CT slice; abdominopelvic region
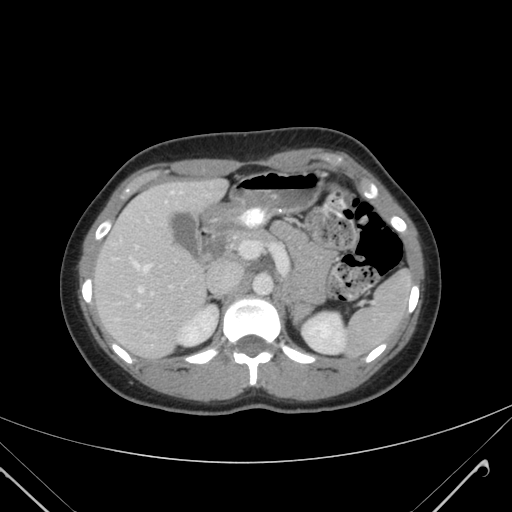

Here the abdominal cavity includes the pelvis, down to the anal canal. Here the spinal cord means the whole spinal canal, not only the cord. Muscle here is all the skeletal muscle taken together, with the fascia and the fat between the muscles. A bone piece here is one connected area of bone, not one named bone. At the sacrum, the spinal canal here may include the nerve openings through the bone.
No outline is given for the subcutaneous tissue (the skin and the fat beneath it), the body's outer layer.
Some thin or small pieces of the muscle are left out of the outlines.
{"abdominal_cavity":[[[148,360],[208,346],[221,329],[226,307],[247,294],[273,303],[293,346],[326,357],[364,356],[393,334],[407,308],[411,274],[401,237],[358,179],[326,162],[294,169],[248,165],[217,177],[158,177],[120,209],[92,275],[93,301],[104,329],[132,356]]],"torso":[[[198,416],[229,415],[253,408],[284,414],[318,413],[357,406],[397,385],[423,353],[441,299],[436,240],[417,205],[355,137],[328,127],[288,126],[201,133],[158,142],[123,163],[75,224],[60,266],[59,299],[78,351],[96,376],[123,398],[167,412]]],"bones":[{"outer":[[250,385],[257,381],[258,365],[273,357],[274,346],[279,347],[290,359],[300,363],[312,363],[316,357],[292,348],[282,339],[276,343],[281,329],[276,308],[266,299],[247,295],[235,299],[225,310],[223,335],[233,347],[231,352],[233,360],[247,365]],"hole":[[252,357],[256,355],[261,351],[263,351],[265,350],[267,348],[267,344],[263,339],[262,339],[258,336],[256,336],[255,335],[248,335],[247,336],[244,336],[237,341],[236,343],[236,348],[238,351],[240,352],[243,352],[247,354],[249,356],[251,356]]},[[123,200],[127,199],[127,198],[131,194],[133,190],[135,189],[136,187],[142,183],[149,180],[154,176],[157,175],[160,172],[160,170],[158,170],[157,169],[156,170],[151,170],[150,171],[145,172],[134,178],[122,190],[122,192],[120,194],[120,198]],[[190,363],[205,363],[209,361],[218,353],[218,349],[214,346],[213,347],[210,347],[204,350],[201,350],[198,352],[196,352],[195,353],[193,353],[189,355],[186,355],[183,357],[183,359],[185,361],[187,362],[189,362]],[[408,313],[411,313],[414,310],[417,304],[417,301],[419,297],[419,287],[418,285],[416,284],[413,284],[412,285],[412,287],[410,291],[410,295],[409,296],[409,300],[408,301],[408,308],[407,309],[407,312]],[[96,240],[100,240],[107,233],[107,232],[109,230],[109,229],[111,227],[111,226],[112,225],[112,221],[110,219],[106,219],[105,220],[104,220],[97,227],[97,228],[96,229],[96,230],[95,231],[95,232],[94,233],[94,238]],[[89,304],[90,304],[92,302],[92,294],[91,293],[91,278],[87,278],[86,279],[85,279],[85,280],[83,282],[83,283],[82,284],[82,285],[81,286],[81,292],[82,293],[82,296],[83,297],[83,299],[87,303],[88,303]],[[129,364],[132,363],[134,361],[134,359],[124,349],[123,349],[120,346],[119,346],[115,342],[113,342],[112,343],[111,343],[111,344],[110,345],[111,346],[111,348],[113,350],[113,351],[115,353],[116,353],[123,360],[124,360],[127,363],[128,363]],[[398,232],[405,232],[406,231],[406,230],[407,229],[407,225],[406,224],[406,223],[400,217],[399,217],[398,216],[397,216],[396,215],[392,215],[390,217],[390,223],[391,224],[391,225]],[[335,164],[340,164],[342,163],[343,161],[343,159],[342,157],[340,156],[338,156],[335,154],[329,154],[328,153],[320,153],[314,156],[312,156],[312,157],[314,157],[315,158],[320,158],[321,159],[325,159]],[[366,362],[370,362],[372,360],[373,360],[376,357],[377,357],[385,349],[385,348],[386,347],[386,343],[382,343],[381,344],[380,344],[378,346],[377,346],[375,348],[374,348],[367,355],[366,355],[364,357],[364,360]],[[370,198],[375,198],[376,197],[377,197],[377,196],[378,195],[378,189],[377,188],[377,187],[376,186],[376,185],[374,183],[373,183],[372,182],[368,182],[367,183],[366,183],[364,186],[364,192],[366,194],[366,195],[368,197],[369,197]]],"muscle":[{"outer":[[196,401],[214,401],[215,400],[231,399],[240,395],[246,389],[250,387],[262,388],[274,396],[282,397],[283,398],[290,398],[291,399],[297,399],[305,401],[313,401],[324,398],[329,398],[332,396],[335,396],[344,392],[349,391],[366,381],[384,364],[394,357],[404,347],[410,339],[415,330],[416,324],[418,321],[418,317],[420,313],[420,310],[423,302],[423,297],[424,296],[425,269],[424,268],[424,259],[423,258],[423,253],[422,252],[419,233],[414,223],[407,213],[381,181],[369,170],[357,162],[350,155],[344,151],[341,151],[331,147],[306,147],[305,148],[284,150],[276,152],[263,158],[250,159],[245,161],[239,161],[235,159],[224,159],[223,158],[193,158],[192,159],[184,159],[176,161],[165,161],[164,162],[153,163],[133,172],[125,178],[115,188],[110,195],[104,207],[98,214],[85,235],[82,242],[81,255],[77,269],[78,270],[78,300],[83,316],[94,339],[100,347],[116,363],[129,373],[133,378],[136,379],[144,385],[161,393],[164,393],[179,398],[183,398],[189,400],[195,400]],"hole":[[250,385],[257,381],[258,365],[273,357],[274,346],[300,363],[314,362],[316,354],[363,356],[370,362],[385,349],[405,312],[411,313],[417,304],[419,287],[411,284],[397,233],[406,231],[406,223],[396,215],[389,222],[370,199],[378,195],[376,185],[368,182],[363,191],[358,179],[337,165],[343,159],[335,154],[312,156],[332,164],[314,162],[294,169],[248,165],[217,177],[163,175],[150,181],[160,172],[151,170],[122,190],[120,198],[127,201],[116,218],[104,220],[94,233],[96,240],[104,239],[81,292],[87,303],[94,302],[115,353],[129,364],[134,357],[179,355],[190,363],[205,363],[218,353],[214,346],[204,348],[222,324],[233,360],[249,369]]},[[292,347],[294,347],[293,347],[283,337],[283,336],[282,335],[282,333],[281,332],[281,330],[281,332],[280,333],[279,336],[277,338],[277,339],[276,340],[276,342],[277,342],[281,338],[282,338],[285,340],[286,343],[287,343]]],"spinal_cord":[[[252,357],[256,355],[261,351],[263,351],[265,350],[267,348],[267,344],[263,339],[262,339],[258,336],[256,336],[255,335],[248,335],[247,336],[244,336],[237,341],[236,343],[236,348],[238,351],[240,352],[243,352],[247,354],[249,356],[251,356]]]}